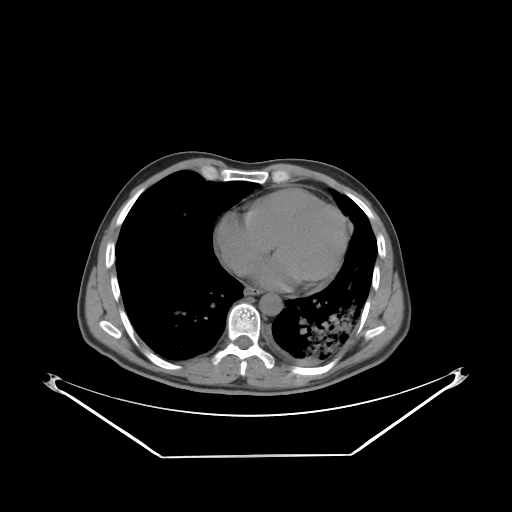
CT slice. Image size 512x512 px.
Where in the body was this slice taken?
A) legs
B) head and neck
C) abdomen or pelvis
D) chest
D) chest
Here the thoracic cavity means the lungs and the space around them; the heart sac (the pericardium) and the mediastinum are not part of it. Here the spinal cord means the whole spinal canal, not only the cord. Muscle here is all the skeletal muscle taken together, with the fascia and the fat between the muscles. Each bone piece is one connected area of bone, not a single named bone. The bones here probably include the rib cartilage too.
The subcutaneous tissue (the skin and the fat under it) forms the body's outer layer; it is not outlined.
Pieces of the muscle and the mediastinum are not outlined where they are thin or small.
Outlines (x, y in pixels):
bones 1: [[242,302],[252,305],[258,311],[261,321],[260,345],[275,359],[274,365],[267,368],[256,355],[249,356],[245,360],[247,364],[243,376],[240,374],[241,361],[234,354],[227,354],[215,365],[212,362],[214,353],[226,344],[224,335],[228,312],[231,307]], around a hole outlined by [[240,336],[246,336],[247,337],[248,337],[251,340],[251,344],[248,347],[247,347],[246,348],[241,348],[240,347],[239,347],[235,343],[235,340],[238,337],[239,337]]
bones 2: [[203,165],[211,165],[218,168],[228,169],[234,168],[246,171],[264,170],[270,172],[273,170],[285,170],[290,174],[291,177],[287,181],[282,182],[267,181],[264,183],[252,182],[247,180],[227,180],[226,181],[209,180],[206,179],[199,173],[199,170]]
bones 3: [[337,357],[338,358],[337,362],[329,370],[323,373],[313,374],[312,375],[302,375],[301,374],[296,374],[295,373],[293,373],[291,371],[291,367],[294,365],[296,366],[300,366],[301,367],[317,367],[318,366],[324,365],[328,363],[334,358],[336,358]]
bones 4: [[143,349],[149,349],[159,357],[167,361],[169,361],[170,362],[172,362],[173,363],[175,363],[176,364],[178,364],[180,365],[181,366],[181,368],[179,369],[167,369],[166,368],[163,368],[155,364],[153,362],[152,362],[142,352],[142,350]]
bones 5: [[143,186],[145,187],[145,189],[144,191],[143,191],[136,199],[136,200],[130,208],[129,211],[127,213],[121,225],[120,226],[117,226],[116,225],[116,221],[117,220],[117,218],[122,208],[124,206],[126,202],[141,187]]
bones 6: [[120,308],[122,308],[124,309],[128,317],[128,319],[131,325],[134,329],[134,331],[136,334],[135,335],[136,336],[136,339],[139,343],[139,346],[137,346],[132,341],[131,338],[127,333],[125,329],[125,327],[120,317],[120,314],[119,313],[119,309]]
bones 7: [[345,190],[346,191],[348,191],[353,195],[359,198],[370,209],[370,210],[374,215],[374,218],[372,220],[370,220],[369,219],[369,218],[366,215],[366,214],[355,202],[354,202],[348,196],[344,194],[343,192]]
bones 8: [[109,241],[113,241],[115,243],[115,245],[114,246],[114,255],[115,256],[115,258],[114,259],[114,264],[110,268],[107,268],[106,267],[106,266],[105,265],[105,251],[106,250],[106,246],[107,245],[107,243]]
bones 9: [[101,320],[106,320],[107,321],[110,322],[114,326],[115,326],[120,331],[120,332],[121,333],[121,336],[119,338],[116,338],[115,337],[114,337],[113,336],[110,335],[108,333],[107,333],[104,330],[103,330],[100,327],[100,326],[99,325],[99,322]]
bones 10: [[368,297],[370,300],[370,305],[369,306],[369,310],[367,314],[367,317],[364,322],[364,324],[362,327],[362,329],[360,331],[360,332],[358,334],[357,334],[356,333],[356,331],[359,325],[360,315],[361,314],[362,309],[364,306],[364,304]]
bones 11: [[379,232],[382,234],[382,235],[384,238],[384,240],[385,241],[385,248],[386,249],[386,254],[385,255],[385,256],[383,258],[382,257],[380,257],[379,256],[378,256],[378,251],[377,250],[377,240],[376,239],[376,235],[375,234],[376,234]]
bones 12: [[113,274],[115,274],[116,275],[117,281],[118,282],[118,286],[119,287],[119,290],[120,291],[120,298],[118,300],[118,301],[116,301],[115,300],[114,296],[113,295],[113,293],[112,292],[112,290],[111,289],[111,281],[110,280],[111,279],[111,276]]
bones 13: [[379,325],[384,325],[385,326],[385,329],[381,333],[380,333],[378,335],[376,335],[370,339],[366,339],[364,336],[364,334],[365,333],[365,331],[366,331],[368,329],[371,329],[372,328],[373,328],[374,327],[376,327]]
bones 14: [[375,263],[376,263],[378,265],[378,266],[379,267],[379,285],[378,286],[378,288],[376,290],[374,290],[371,287],[371,282],[372,281],[372,275],[373,274],[373,269],[374,268],[374,265],[375,264]]
muscle: [[199,157],[220,160],[232,168],[203,164],[198,172],[180,169],[146,189],[141,186],[116,218],[115,225],[120,227],[116,241],[109,240],[105,246],[104,265],[115,268],[110,289],[114,300],[121,298],[123,304],[118,309],[120,320],[131,341],[139,347],[137,335],[147,347],[141,352],[163,369],[179,370],[182,366],[173,362],[205,354],[223,338],[225,344],[211,356],[212,364],[234,355],[240,361],[239,374],[243,377],[249,357],[256,356],[267,369],[275,365],[274,355],[261,345],[263,336],[274,353],[293,364],[293,374],[312,376],[329,371],[338,362],[336,356],[358,321],[355,333],[361,332],[370,310],[370,289],[376,291],[380,285],[376,259],[387,254],[383,234],[375,233],[370,221],[375,215],[348,190],[341,193],[314,179],[291,179],[285,169],[260,169],[280,163],[326,174],[351,188],[370,202],[382,221],[391,242],[404,309],[399,330],[379,352],[306,385],[260,389],[240,382],[193,383],[154,371],[130,361],[92,335],[84,313],[86,287],[97,264],[104,232],[115,213],[134,187],[177,162]] with holes at [[101,320],[106,320],[107,321],[110,322],[114,326],[115,326],[120,331],[120,332],[121,333],[121,336],[119,338],[116,338],[115,337],[114,337],[113,336],[110,335],[108,333],[107,333],[104,330],[103,330],[100,327],[100,326],[99,325],[99,322]] and at [[379,325],[384,325],[385,326],[385,329],[381,333],[380,333],[378,335],[376,335],[370,339],[366,339],[364,336],[364,334],[365,333],[365,331],[366,331],[368,329],[371,329],[372,328],[373,328],[374,327],[376,327]]
torso: [[187,150],[211,152],[246,162],[287,157],[318,160],[345,170],[372,192],[396,230],[412,305],[410,329],[389,358],[311,391],[268,396],[229,395],[177,388],[138,375],[83,340],[77,323],[76,302],[86,259],[104,214],[119,190],[139,169],[164,155]]
pericardium: [[283,184],[310,186],[327,194],[345,215],[350,230],[350,238],[343,263],[335,278],[323,289],[309,295],[290,297],[273,293],[271,291],[260,291],[246,286],[220,263],[214,251],[213,231],[216,222],[223,214],[236,206],[246,197],[263,191],[269,187]]
thoracic cavity 1: [[180,170],[195,171],[209,181],[247,181],[258,185],[220,213],[214,221],[213,252],[220,265],[242,285],[241,297],[232,302],[227,312],[223,337],[215,347],[205,353],[170,361],[148,348],[129,319],[116,274],[115,246],[120,228],[141,194],[162,178]]
thoracic cavity 2: [[334,189],[348,197],[368,218],[375,235],[377,256],[372,269],[370,288],[359,319],[341,349],[335,357],[324,364],[296,365],[270,348],[264,338],[264,326],[286,307],[287,300],[307,297],[323,290],[336,278],[341,269],[354,225],[336,203],[332,194]]
mediastinum 1: [[243,285],[260,292],[271,292],[273,294],[290,298],[295,298],[296,297],[301,297],[297,297],[296,298],[294,299],[290,298],[287,299],[285,302],[285,307],[274,318],[263,326],[263,335],[262,335],[261,316],[259,311],[252,304],[242,301],[236,303],[232,306],[234,301],[242,297]]
mediastinum 2: [[290,180],[314,180],[318,182],[321,182],[333,188],[331,190],[331,194],[333,199],[321,189],[318,189],[316,187],[310,185],[298,184],[297,183],[283,183],[278,185],[273,185],[269,186],[263,190],[248,195],[259,184],[264,184],[267,182],[282,183]]
mediastinum 3: [[243,198],[244,198],[236,205],[233,206],[229,210],[223,213],[219,217],[217,221],[215,222],[215,225],[215,221],[217,217],[220,214],[228,210],[232,206],[236,204]]
spinal cord: [[240,336],[246,336],[247,337],[248,337],[251,340],[251,344],[248,347],[247,347],[246,348],[241,348],[240,347],[239,347],[235,343],[235,340],[238,337],[239,337]]